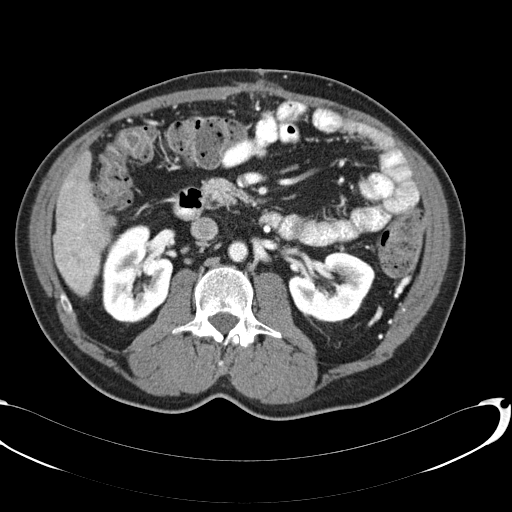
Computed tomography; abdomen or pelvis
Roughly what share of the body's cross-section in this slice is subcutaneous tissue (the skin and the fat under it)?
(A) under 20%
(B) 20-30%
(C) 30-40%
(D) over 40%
Answer: (A) under 20%
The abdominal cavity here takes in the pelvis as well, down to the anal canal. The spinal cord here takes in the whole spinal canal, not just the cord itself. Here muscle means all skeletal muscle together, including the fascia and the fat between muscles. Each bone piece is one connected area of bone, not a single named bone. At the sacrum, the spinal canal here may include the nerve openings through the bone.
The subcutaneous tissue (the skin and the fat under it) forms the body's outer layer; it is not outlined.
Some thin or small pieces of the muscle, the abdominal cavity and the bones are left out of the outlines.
{"bones":[{"outer":[[220,265],[233,265],[247,274],[254,290],[252,299],[254,316],[262,323],[279,331],[280,338],[257,334],[253,342],[246,347],[231,342],[223,346],[210,336],[199,337],[190,331],[175,334],[171,332],[175,327],[185,324],[195,316],[194,286],[200,276]],"hole":[[221,312],[222,313],[229,313],[237,317],[238,319],[237,322],[234,325],[234,326],[232,328],[231,328],[227,332],[227,333],[225,334],[222,333],[219,330],[218,330],[211,323],[210,321],[210,318],[212,316],[215,315],[217,313],[220,313]]},[[61,291],[64,291],[67,295],[69,299],[69,301],[71,303],[71,305],[72,306],[72,309],[73,310],[73,314],[74,315],[72,314],[70,314],[69,313],[67,313],[63,309],[61,305],[61,303],[60,302],[60,293]]],"torso":[[[223,68],[315,73],[364,92],[420,137],[454,185],[466,237],[456,299],[427,363],[405,385],[377,401],[289,420],[254,416],[222,397],[181,413],[152,411],[92,387],[38,325],[20,277],[14,231],[21,199],[39,163],[67,133],[118,99],[173,77]]],"muscle":[{"outer":[[239,83],[262,83],[263,84],[277,85],[292,92],[320,97],[335,101],[351,108],[360,110],[375,117],[396,132],[399,137],[406,144],[411,146],[417,151],[429,164],[441,184],[448,209],[448,217],[449,218],[450,234],[451,235],[450,236],[450,251],[447,268],[445,271],[440,290],[436,298],[430,309],[415,328],[414,331],[405,341],[400,344],[394,350],[393,355],[385,361],[364,370],[358,371],[342,378],[336,379],[322,388],[315,391],[307,397],[293,403],[285,403],[284,404],[262,403],[257,399],[249,398],[243,395],[236,390],[223,377],[220,378],[214,384],[204,391],[196,394],[182,393],[178,396],[170,396],[169,395],[158,396],[147,393],[140,389],[111,368],[97,361],[80,350],[67,336],[58,317],[54,304],[54,300],[46,295],[37,277],[30,252],[29,222],[32,206],[35,201],[36,195],[42,183],[42,180],[54,161],[63,150],[74,140],[91,128],[104,120],[106,120],[119,111],[149,98],[180,90],[192,89],[193,88],[203,88],[204,87],[227,86],[228,85],[229,86],[234,86]],"hole":[[241,92],[375,126],[414,170],[427,218],[420,270],[368,352],[320,362],[274,271],[254,276],[252,311],[281,337],[257,334],[246,347],[171,332],[195,316],[197,274],[188,267],[122,349],[100,344],[61,305],[52,218],[82,152],[128,116]]}],"abdominal_cavity":[[[241,92],[329,108],[375,126],[414,170],[427,218],[420,270],[368,352],[320,362],[294,322],[283,278],[261,271],[253,283],[233,264],[197,279],[188,267],[176,271],[154,321],[122,349],[100,344],[78,320],[51,247],[54,205],[72,165],[116,121]]],"spinal_cord":[[[221,312],[222,313],[229,313],[237,317],[238,319],[237,322],[234,325],[234,326],[232,328],[231,328],[227,332],[227,333],[225,334],[222,333],[219,330],[218,330],[211,323],[210,321],[210,318],[212,316],[215,315],[217,313],[220,313]]]}